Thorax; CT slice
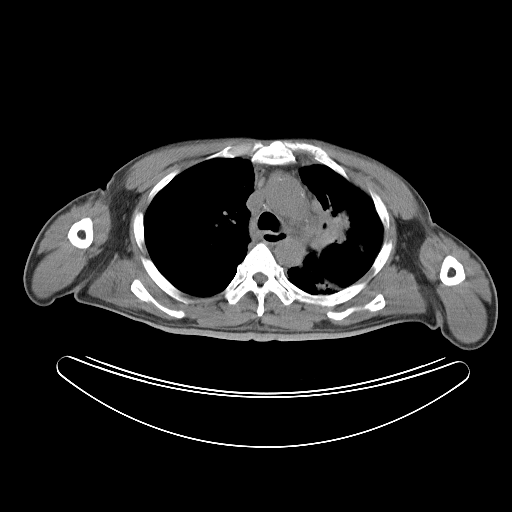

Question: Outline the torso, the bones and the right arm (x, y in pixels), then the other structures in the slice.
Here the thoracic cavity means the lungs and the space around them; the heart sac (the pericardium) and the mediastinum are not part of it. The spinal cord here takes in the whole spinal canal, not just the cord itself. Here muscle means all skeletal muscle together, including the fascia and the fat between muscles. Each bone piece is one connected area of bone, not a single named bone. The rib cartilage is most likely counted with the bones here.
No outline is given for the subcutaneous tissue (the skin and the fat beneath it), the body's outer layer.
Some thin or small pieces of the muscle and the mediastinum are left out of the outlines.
Answer: The torso is outlined by 227,135 318,137 366,153 406,178 422,197 432,220 418,234 415,264 435,299 437,328 402,322 342,338 243,341 170,333 76,301 73,295 92,280 116,246 121,219 106,186 113,173 152,148 183,139. The bones appear in 10 outlined pieces: piece 1: 385,239 391,240 392,248 380,270 353,297 334,306 296,300 284,305 270,291 264,296 264,311 258,316 258,301 251,291 235,304 219,294 234,277 248,250 259,242 269,248 294,285 316,295 331,294 366,280 with a hole at 259,272 260,273 262,273 264,275 265,275 267,277 267,278 266,279 266,280 265,281 264,281 262,283 261,283 260,284 259,283 258,283 254,279 254,278 253,277 254,276 254,275 256,273 258,273; piece 2: 272,140 299,141 319,146 344,168 349,177 346,179 328,166 315,162 310,157 296,152 296,161 286,164 251,162 250,153 243,156 215,157 203,160 205,157 220,151 227,145 252,144 256,141 260,141 266,145; piece 3: 141,256 144,256 145,257 150,258 160,273 176,288 183,292 184,295 186,297 193,300 193,302 186,304 181,301 179,301 173,298 167,293 166,293 161,288 160,288 151,278 143,266 143,264 141,261; piece 4: 83,217 90,217 92,220 92,223 93,224 93,239 92,240 92,242 88,247 87,247 86,248 78,248 77,247 74,246 70,242 70,241 67,237 67,233 68,232 71,225 74,222 79,220; piece 5: 448,254 452,255 455,257 456,259 461,263 463,266 463,269 465,274 465,278 460,283 455,285 451,285 450,286 445,285 440,280 440,278 439,277 439,272 440,271 440,267 441,266 442,261 444,257; piece 6: 136,278 142,283 147,291 160,304 170,309 174,309 175,310 183,310 185,312 185,316 182,318 176,318 164,312 158,308 153,303 149,301 148,302 146,302 145,301 142,301 140,300 132,292 130,288 132,281; piece 7: 379,293 381,293 383,295 385,300 385,305 381,309 379,309 375,311 370,311 367,309 356,310 340,320 335,320 334,319 329,318 326,314 327,311 329,310 331,310 332,311 342,311 352,306 362,306 369,302; piece 8: 369,189 371,189 380,197 383,203 385,205 385,207 388,212 388,214 389,215 389,228 386,231 385,231 383,228 383,225 375,209 375,206 374,205 374,203 368,192 368,190; piece 9: 137,211 140,211 143,213 143,234 144,235 144,242 145,243 145,245 143,247 143,249 142,250 141,250 138,247 137,245 137,243 135,239 135,236 134,235 134,232 133,231 133,220 134,219 134,215; piece 10: 175,169 178,169 179,170 179,173 178,173 167,184 166,184 153,197 153,198 149,203 148,202 147,199 148,198 148,195 149,194 149,192 150,191 150,190 165,175 166,175 168,173 171,172 173,170 174,170. The right arm is outlined by 105,186 109,190 120,219 119,229 114,248 91,280 72,295 68,294 57,298 50,305 47,306 39,306 33,303 28,298 24,290 23,271 28,254 39,230 46,220 56,210 70,200 85,192 93,190 98,187. The mediastinum is outlined by 297,156 314,162 302,166 299,169 299,175 319,202 323,218 314,248 307,253 301,267 292,266 286,270 278,263 263,241 257,242 248,249 251,239 249,234 251,212 246,202 254,190 252,163 293,164 297,161. The spinal cord is outlined by 259,272 260,273 262,273 264,275 265,275 267,277 267,278 266,279 266,280 265,281 264,281 262,283 261,283 260,284 259,283 258,283 254,279 254,278 253,277 254,276 254,275 256,273 258,273. The thoracic cavity appears in 2 outlined pieces: piece 1: 236,157 249,159 253,170 253,190 245,202 250,212 248,222 250,239 247,244 246,254 237,265 233,277 218,293 208,296 197,296 186,293 168,280 151,259 145,242 144,214 154,197 184,170 202,161 215,158; piece 2: 314,163 328,167 367,194 373,203 383,229 382,243 369,269 357,281 331,293 313,294 307,292 294,284 286,274 286,271 289,268 302,267 308,253 315,248 322,226 324,218 322,206 300,175 300,169 302,167. The muscle appears in 2 outlined pieces: piece 1: 234,138 268,143 227,144 180,172 173,169 149,190 144,213 137,210 133,215 136,245 141,251 145,246 149,255 140,256 142,266 166,294 186,305 194,300 184,293 218,294 235,305 251,292 261,317 270,292 284,306 296,301 330,308 367,285 393,248 392,240 384,239 389,212 375,191 369,188 368,194 350,182 345,168 324,148 291,140 315,140 374,161 396,175 415,198 426,228 453,240 480,265 491,292 482,337 461,342 430,309 313,331 258,321 221,329 121,307 89,294 89,286 113,254 122,256 129,241 131,214 141,194 117,189 126,172 164,149 with holes at 397,218 403,221 417,220 419,221 425,228 425,235 424,236 424,238 417,249 416,257 413,261 413,264 415,267 415,270 414,271 406,267 401,266 394,261 394,257 397,253 398,238 399,237 398,227 397,226 and at 448,254 452,255 455,257 456,259 461,263 463,266 463,269 465,274 465,278 460,283 455,285 451,285 450,286 445,285 440,280 440,278 439,277 439,272 440,271 440,267 441,266 442,261 444,257 and at 136,278 142,283 147,291 160,304 170,309 174,309 175,310 183,310 185,312 185,316 182,318 176,318 164,312 158,308 153,303 149,301 148,302 146,302 145,301 142,301 140,300 132,292 130,288 132,281 and at 379,293 381,293 383,295 385,300 385,305 381,309 379,309 375,311 370,311 367,309 356,310 340,320 335,320 334,319 329,318 326,314 327,311 329,310 331,310 332,311 342,311 352,306 362,306 369,302; piece 2: 93,195 98,195 104,198 109,205 112,227 109,238 105,243 104,250 99,254 90,257 84,264 79,275 70,284 48,297 39,298 32,290 32,276 37,265 37,251 39,244 45,232 66,207 68,208 78,200; inner edge: 83,217 90,217 92,220 92,223 93,224 93,239 92,240 92,242 88,247 87,247 86,248 78,248 77,247 74,246 70,242 70,241 67,237 67,233 68,232 71,225 74,222 79,220. The left arm is outlined by 431,221 437,223 455,235 477,253 485,263 493,279 497,292 497,323 490,339 484,345 477,349 464,350 458,348 446,339 442,335 441,331 438,329 440,316 436,299 423,274 416,264 417,241 419,234 422,228.